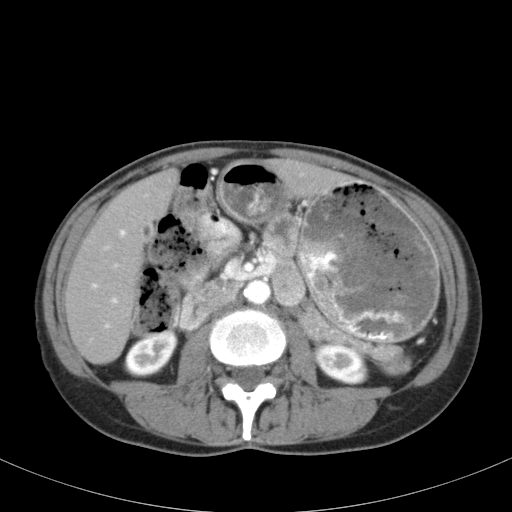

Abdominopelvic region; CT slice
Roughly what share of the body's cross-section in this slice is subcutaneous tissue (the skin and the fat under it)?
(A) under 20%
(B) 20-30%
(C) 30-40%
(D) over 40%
Answer: (A) under 20%
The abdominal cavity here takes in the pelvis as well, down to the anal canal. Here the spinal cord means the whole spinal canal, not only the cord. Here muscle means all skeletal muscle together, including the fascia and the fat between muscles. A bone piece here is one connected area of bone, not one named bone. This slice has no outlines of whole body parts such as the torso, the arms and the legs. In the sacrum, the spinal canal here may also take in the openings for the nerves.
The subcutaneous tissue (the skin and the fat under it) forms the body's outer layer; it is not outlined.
{"bones":[{"outer":[[242,308],[258,309],[276,316],[283,322],[286,335],[285,350],[269,365],[276,394],[273,398],[263,401],[256,410],[251,424],[252,438],[248,441],[241,437],[240,410],[234,401],[225,399],[221,392],[226,366],[213,356],[208,341],[211,324],[216,318]],"hole":[[252,365],[255,365],[256,366],[267,365],[267,368],[265,372],[265,381],[258,383],[252,390],[247,391],[238,383],[234,382],[232,380],[230,376],[231,375],[230,373],[230,370],[231,369],[230,367],[232,366],[233,367],[246,367],[247,366],[251,366]]}],"abdominal_cavity":[[[232,152],[266,153],[344,170],[382,188],[422,228],[440,260],[445,323],[437,349],[413,377],[397,387],[322,385],[298,327],[252,307],[228,311],[188,335],[173,382],[107,382],[76,353],[63,323],[64,291],[76,254],[97,216],[120,192],[146,176]]],"spinal_cord":[[[252,365],[255,365],[256,366],[267,365],[267,368],[265,372],[265,381],[258,383],[252,390],[247,391],[238,383],[234,382],[232,380],[230,376],[231,375],[230,373],[230,370],[231,369],[230,367],[232,366],[233,367],[246,367],[247,366],[251,366]]],"muscle":[{"outer":[[224,146],[245,146],[254,149],[295,148],[336,157],[365,168],[417,194],[428,202],[442,216],[449,225],[460,246],[466,267],[467,283],[469,290],[468,291],[468,317],[465,329],[449,364],[440,376],[423,386],[412,387],[397,394],[387,397],[379,405],[373,417],[363,427],[345,437],[325,441],[297,444],[285,444],[284,445],[269,445],[253,442],[224,446],[208,446],[192,443],[184,443],[164,438],[145,430],[129,414],[123,403],[114,394],[90,383],[85,379],[72,374],[66,369],[56,355],[51,340],[49,338],[43,317],[43,308],[42,307],[42,291],[45,278],[45,267],[52,246],[66,220],[83,201],[136,168],[142,167],[159,158],[177,152],[197,148],[223,147]],"hole":[[232,152],[382,188],[437,252],[445,298],[437,349],[397,387],[320,384],[304,334],[286,321],[285,350],[269,365],[276,394],[248,441],[221,392],[226,366],[210,350],[210,323],[187,336],[173,382],[103,380],[63,323],[74,259],[107,204],[163,168]]}]}